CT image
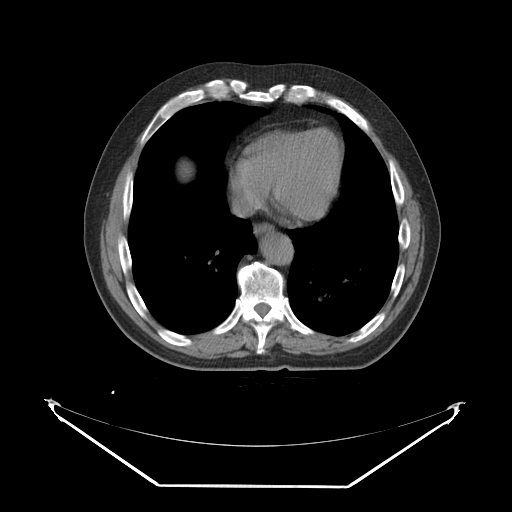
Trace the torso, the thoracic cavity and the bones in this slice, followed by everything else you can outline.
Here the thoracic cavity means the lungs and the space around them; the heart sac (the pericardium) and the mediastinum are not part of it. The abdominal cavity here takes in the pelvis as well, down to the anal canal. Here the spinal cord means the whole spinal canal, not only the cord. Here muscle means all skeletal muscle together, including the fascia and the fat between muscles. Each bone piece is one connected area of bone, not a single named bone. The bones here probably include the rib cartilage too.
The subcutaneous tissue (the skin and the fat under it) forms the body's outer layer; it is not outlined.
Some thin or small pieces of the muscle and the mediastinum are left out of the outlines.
Outlines:
torso: 211,61 305,62 339,70 375,92 413,141 437,202 440,247 429,287 415,318 397,343 374,363 359,369 335,370 186,369 144,351 124,335 105,309 94,286 83,245 84,206 99,158 120,120 147,91 182,70
thoracic cavity 1: 210,101 229,101 268,111 234,136 220,162 227,172 224,195 228,210 249,222 257,248 244,254 237,264 235,275 239,293 229,314 209,330 185,335 164,327 143,300 134,282 128,226 134,175 144,146 175,113; inner edge: 182,154 184,154 187,156 189,156 195,162 197,166 197,174 196,175 196,177 195,179 193,181 185,185 181,185 179,184 176,181 175,179 175,177 174,176 174,164 177,158 180,155
thoracic cavity 2: 312,105 343,114 371,140 387,167 398,220 397,265 389,293 379,311 367,322 343,335 317,331 302,322 284,293 295,254 293,241 286,231 305,228 323,219 342,193 342,171 347,152 344,131 333,114 320,111
bones 1: 254,261 282,274 285,279 283,293 293,313 314,331 313,334 303,334 291,329 286,320 276,320 265,337 264,352 257,354 258,336 249,322 240,319 231,329 219,334 212,333 212,329 230,314 240,293 237,270; inner edge: 259,303 265,303 266,304 267,304 270,307 270,309 264,315 263,315 262,316 261,316 255,310 255,309 254,308 254,307 257,304 258,304
bones 2: 214,79 226,82 238,79 246,83 248,90 257,91 280,83 303,84 315,88 317,94 303,103 281,98 256,102 242,99 232,91 223,100 208,96 175,112 142,147 140,141 145,129 168,100 183,91 203,88
bones 3: 326,97 334,97 335,98 338,98 347,103 357,112 358,112 366,120 367,122 367,124 369,128 369,131 370,132 370,137 369,137 346,115 345,115 341,112 337,111 335,109 325,104 324,102 324,99
bones 4: 390,158 391,158 394,162 396,170 399,175 399,177 403,187 403,192 404,193 403,203 398,208 396,207 396,204 395,203 395,200 394,199 394,196 392,191 392,187 391,186 390,174 388,169 388,160
bones 5: 129,170 130,170 133,174 133,191 132,192 132,205 131,206 131,211 130,212 129,219 128,220 128,221 127,222 126,222 123,218 123,192 124,191 124,185 125,184 125,179 126,178 126,175 127,174 127,172
bones 6: 381,311 385,313 385,317 383,319 381,323 373,331 372,331 365,337 355,342 347,342 347,339 349,337 350,337 352,335 354,335 356,333 356,332 361,327 362,327 366,323 367,323 378,312 380,312
bones 7: 128,281 129,282 132,282 135,285 135,286 136,287 142,300 144,302 144,303 149,312 147,314 147,319 144,319 138,313 138,312 135,309 134,306 132,304 132,303 128,296 128,294 126,291 126,283
bones 8: 121,234 122,235 124,235 127,239 127,243 128,244 129,252 130,253 130,256 131,257 131,270 129,270 127,272 126,275 125,275 123,272 122,266 120,262 120,258 119,257 119,252 118,251 118,237
bones 9: 161,327 166,328 178,334 181,334 182,335 184,335 188,337 192,341 192,343 190,345 187,345 186,346 180,346 179,345 175,345 174,344 169,343 167,341 163,339 158,334 157,332 157,329
bones 10: 403,218 406,218 409,224 409,227 410,228 410,239 409,240 409,243 408,244 408,246 405,249 403,249 401,250 399,249 399,242 398,241 398,234 399,233 399,223 400,221
bones 11: 401,263 403,263 405,267 404,275 403,276 403,279 402,280 402,283 401,284 399,292 396,297 393,300 392,299 392,295 390,293 390,289 391,288 392,281 393,280 393,278 396,271 396,268 397,266
mediastinum: 233,99 317,103 311,107 333,115 343,131 345,144 340,130 323,119 270,121 244,136 227,160 233,195 289,229 294,254 286,278 258,260 238,268 258,246 250,222 229,210 228,172 221,162 235,136 269,111
abdominal cavity: 182,154 184,154 187,156 189,156 195,162 197,166 197,174 196,175 196,177 195,179 193,181 185,185 181,185 179,184 176,181 175,179 175,177 174,176 174,164 177,158 180,155
pericardium: 302,118 323,120 335,126 341,133 345,145 345,157 341,171 341,193 333,203 329,212 323,218 305,227 288,228 260,215 254,211 245,201 234,195 230,187 228,160 236,146 242,141 244,137 260,126 270,122
spinal cord: 259,303 265,303 266,304 267,304 270,307 270,309 264,315 263,315 262,316 261,316 255,310 255,309 254,308 254,307 257,304 258,304
muscle 1: 144,129 135,172 130,169 126,172 123,185 122,218 128,222 127,236 121,233 117,237 122,272 126,276 131,271 133,278 133,282 125,283 127,296 144,320 148,319 149,313 162,326 156,332 169,344 190,346 193,341 187,336 210,330 214,335 223,334 241,320 249,323 256,333 256,354 206,359 168,348 142,330 106,286 100,256 104,209 115,174
muscle 2: 316,88 342,98 361,111 399,162 423,217 425,235 423,266 416,287 399,316 372,340 355,349 324,356 288,353 262,355 265,352 266,337 276,321 280,323 286,321 291,330 303,335 313,335 315,331 332,336 355,332 346,339 347,343 355,343 365,338 386,317 386,313 380,310 389,294 393,301 397,297 405,275 405,264 403,262 398,264 398,257 399,250 405,250 409,246 411,228 406,217 399,222 398,219 397,209 404,203 405,193 395,162 390,157 387,166 370,138 371,132 367,120 347,102 334,96 326,96 323,99 324,104 329,107 309,101 317,96